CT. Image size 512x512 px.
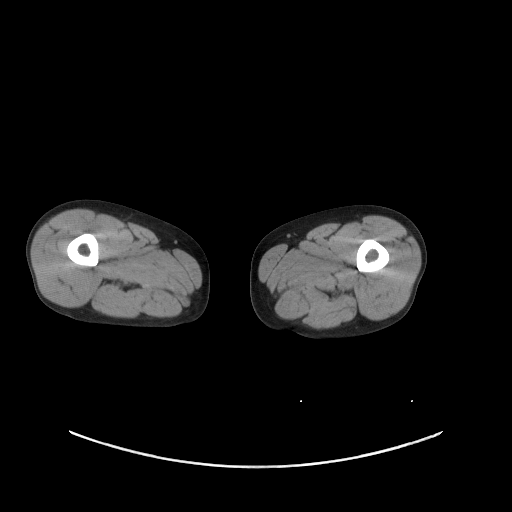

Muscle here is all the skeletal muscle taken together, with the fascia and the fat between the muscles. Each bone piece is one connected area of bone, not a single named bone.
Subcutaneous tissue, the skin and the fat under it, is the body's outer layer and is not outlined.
{"right_leg":[[[79,198],[102,199],[129,206],[167,221],[188,233],[201,246],[209,264],[209,299],[206,309],[202,315],[193,322],[165,328],[129,327],[94,324],[77,321],[55,312],[42,303],[34,290],[26,261],[25,243],[27,236],[33,224],[45,211],[62,202]]],"left_leg":[[[351,204],[376,204],[395,209],[407,216],[419,229],[427,250],[427,263],[409,311],[399,321],[379,331],[338,339],[312,339],[289,330],[278,331],[266,326],[256,316],[251,305],[249,294],[250,262],[254,249],[259,241],[271,230],[290,220],[320,210]]],"muscle":[{"outer":[[74,207],[105,211],[128,218],[146,225],[186,245],[193,253],[202,270],[202,283],[198,291],[198,298],[195,306],[177,316],[170,318],[118,318],[80,308],[63,307],[44,297],[38,287],[35,272],[31,262],[31,243],[36,231],[41,225],[54,215]],"hole":[[85,232],[87,232],[92,235],[94,235],[96,237],[97,241],[98,242],[98,246],[99,247],[99,258],[98,259],[98,262],[97,264],[94,266],[82,266],[81,265],[76,264],[68,257],[67,253],[66,252],[66,248],[67,247],[68,243],[73,238]]},{"outer":[[356,214],[381,214],[390,217],[409,230],[417,241],[421,251],[421,266],[414,281],[409,299],[404,307],[394,315],[383,320],[365,320],[346,323],[328,329],[315,329],[274,316],[267,304],[266,288],[259,280],[257,274],[260,260],[266,249],[289,233]],"hole":[[367,238],[372,238],[373,239],[378,241],[387,249],[387,250],[389,253],[389,260],[386,264],[386,265],[378,271],[376,271],[375,272],[361,272],[358,270],[358,269],[356,266],[356,251],[357,250],[359,245],[362,243],[363,240],[364,239],[366,239]]}],"bones":[[[367,238],[372,238],[373,239],[378,241],[387,249],[387,250],[389,253],[389,260],[386,264],[386,265],[378,271],[376,271],[375,272],[361,272],[358,270],[358,269],[356,266],[356,251],[357,250],[359,245],[362,243],[363,240],[364,239],[366,239]],[[85,232],[87,232],[92,235],[94,235],[96,237],[97,241],[98,242],[98,246],[99,247],[99,258],[98,259],[98,262],[97,264],[94,266],[82,266],[81,265],[76,264],[68,257],[67,253],[66,252],[66,248],[67,247],[68,243],[73,238]]]}